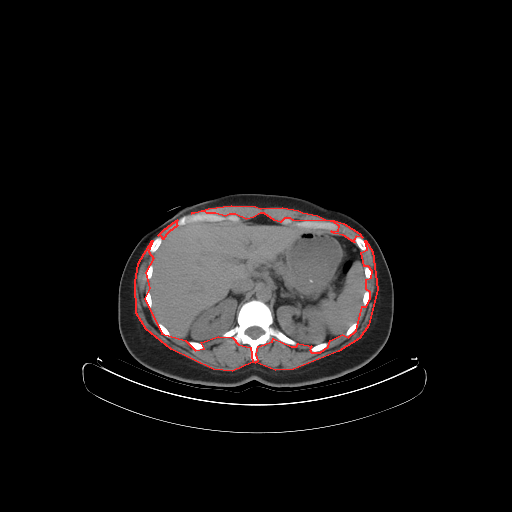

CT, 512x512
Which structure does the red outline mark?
red: muscle.
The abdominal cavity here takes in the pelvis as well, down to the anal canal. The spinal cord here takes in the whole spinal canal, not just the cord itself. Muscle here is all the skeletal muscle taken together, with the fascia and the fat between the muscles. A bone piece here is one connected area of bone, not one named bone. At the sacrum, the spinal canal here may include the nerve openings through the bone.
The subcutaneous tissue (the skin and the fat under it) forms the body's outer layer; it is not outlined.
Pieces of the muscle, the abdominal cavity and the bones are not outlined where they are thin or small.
The muscle appears in 4 outlined pieces: piece 1: 152 240; 148 251; 153 258; 145 272; 149 288; 144 298; 161 333; 185 340; 195 350; 204 348; 201 342; 218 336; 232 337; 238 344; 250 347; 252 362; 232 371; 213 369; 171 349; 146 329; 136 313; 135 282; 138 263; piece 2: 365 240; 372 251; 377 289; 368 325; 359 338; 338 351; 293 369; 275 370; 255 362; 258 360; 256 354; 258 346; 272 341; 273 338; 291 346; 296 346; 298 343; 308 345; 311 346; 309 349; 311 352; 320 352; 328 346; 330 340; 342 334; 348 337; 356 330; 362 306; 366 306; 370 299; 370 292; 366 289; 366 279; 371 277; 372 271; 368 266; 364 266; 361 252; 367 249; piece 3: 231 205; 255 206; 260 208; 282 207; 298 210; 302 212; 317 215; 325 219; 334 220; 343 223; 359 233; 362 237; 356 236; 353 240; 354 242; 343 235; 334 233; 331 231; 338 230; 339 226; 334 222; 330 221; 293 220; 290 218; 284 218; 280 222; 274 220; 264 213; 260 213; 253 217; 246 219; 235 214; 229 214; 225 216; 215 213; 207 213; 204 211; 191 213; 208 208; piece 4: 176 220; 177 220; 176 221; 176 224; 177 225; 175 227; 174 227; 171 230; 170 230; 165 235; 165 236; 163 238; 163 239; 162 238; 162 237; 160 235; 158 235; 165 228; 166 228; 169 225; 170 225; 173 222; 174 222. The abdominal cavity is outlined by 260 214; 283 224; 327 230; 357 246; 365 290; 356 321; 328 341; 313 345; 299 343; 274 325; 272 311; 264 301; 252 298; 240 306; 236 322; 221 335; 196 341; 172 334; 154 317; 149 290; 154 253; 166 235; 190 222; 238 221. The torso is outlined by 234 193; 278 194; 303 198; 351 216; 371 233; 388 265; 394 297; 389 337; 373 359; 337 378; 302 387; 268 387; 256 380; 231 387; 208 387; 158 375; 146 369; 128 352; 118 328; 118 287; 122 271; 134 247; 147 232; 178 210. The bones appear in 10 outlined pieces: piece 1: 252 299; 260 300; 269 307; 273 318; 271 325; 295 341; 296 345; 285 343; 273 337; 272 340; 257 346; 255 352; 257 360; 253 361; 250 358; 251 347; 248 344; 238 343; 232 336; 222 336; 223 333; 237 324; 236 317; 241 306 with a hole at 253 326; 257 326; 258 327; 259 327; 261 329; 262 329; 262 330; 263 331; 263 333; 256 338; 252 338; 250 336; 249 336; 247 334; 246 334; 246 333; 245 332; 246 331; 246 330; 248 328; 249 328; 250 327; 252 327; piece 2: 199 212; 204 212; 207 214; 215 214; 225 217; 229 215; 235 215; 237 216; 239 219; 238 220; 224 219; 223 220; 217 220; 216 221; 197 220; 196 221; 190 221; 178 225; 177 224; 177 221; 182 216; 187 214; 196 214; piece 3: 284 219; 290 219; 293 221; 318 221; 319 222; 330 222; 331 223; 334 223; 337 225; 338 226; 338 229; 336 230; 328 230; 327 229; 323 229; 322 228; 303 227; 302 226; 295 225; 292 223; 283 223; 282 222; 282 220; piece 4: 158 236; 160 236; 161 237; 161 238; 162 239; 162 241; 161 242; 161 243; 160 244; 160 245; 159 246; 159 247; 154 252; 150 252; 149 251; 149 247; 150 246; 150 245; 152 243; 152 242; 153 241; 153 240; 156 237; 157 237; piece 5: 356 237; 360 237; 361 238; 362 238; 364 240; 364 241; 365 242; 365 243; 366 244; 366 249; 365 250; 361 250; 358 247; 358 246; 355 243; 355 241; 354 240; 355 239; 355 238; piece 6: 323 342; 327 342; 327 346; 324 349; 323 349; 322 350; 321 350; 320 351; 311 351; 310 350; 310 349; 311 348; 311 347; 312 346; 313 346; 314 345; 316 345; 317 344; 319 344; 320 343; 322 343; piece 7: 188 341; 195 341; 196 342; 200 342; 204 346; 203 347; 203 348; 202 348; 201 349; 195 349; 194 348; 193 348; 192 347; 191 347; 188 344; piece 8: 354 322; 356 322; 358 324; 358 325; 357 326; 357 327; 355 329; 355 330; 351 334; 350 334; 348 336; 346 336; 345 335; 345 333; 346 332; 346 331; 348 329; 348 328; piece 9: 158 323; 161 323; 168 330; 168 331; 170 333; 170 334; 171 335; 170 336; 170 337; 167 337; 163 333; 162 333; 162 332; 159 329; 159 328; 158 327; piece 10: 148 290; 149 291; 149 292; 150 293; 150 295; 151 296; 151 304; 152 305; 151 306; 151 308; 149 308; 148 307; 148 306; 147 305; 147 303; 146 302; 146 299; 145 298; 145 294; 146 293; 146 291; 147 291. The spinal cord is outlined by 253 326; 257 326; 258 327; 259 327; 261 329; 262 329; 262 330; 263 331; 263 333; 256 338; 252 338; 250 336; 249 336; 247 334; 246 334; 246 333; 245 332; 246 331; 246 330; 248 328; 249 328; 250 327; 252 327.